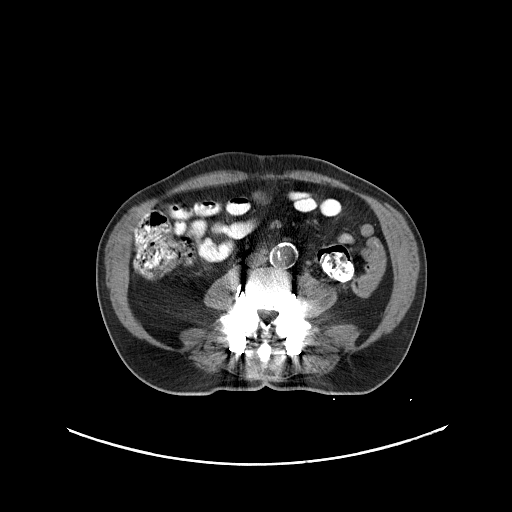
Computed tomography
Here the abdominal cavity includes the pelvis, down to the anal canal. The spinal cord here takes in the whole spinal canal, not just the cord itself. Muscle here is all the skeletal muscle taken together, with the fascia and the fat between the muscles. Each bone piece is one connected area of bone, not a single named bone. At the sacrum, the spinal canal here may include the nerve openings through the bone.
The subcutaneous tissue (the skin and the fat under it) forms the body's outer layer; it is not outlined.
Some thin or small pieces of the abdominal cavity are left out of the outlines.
{"bones":[{"outer":[[260,267],[278,268],[287,271],[291,275],[296,299],[301,306],[304,316],[311,324],[311,329],[302,339],[285,341],[275,330],[268,331],[258,329],[252,331],[248,336],[231,336],[225,330],[224,322],[226,313],[242,295],[244,282],[250,271]],"hole":[[260,310],[264,310],[265,311],[274,311],[275,312],[276,312],[277,313],[277,314],[276,315],[276,316],[273,319],[272,319],[271,320],[270,320],[268,322],[265,322],[260,317],[260,316],[259,315],[259,313],[258,312]]}],"spinal_cord":[[[260,310],[264,310],[265,311],[274,311],[275,312],[276,312],[277,313],[277,314],[276,315],[276,316],[273,319],[272,319],[271,320],[270,320],[268,322],[265,322],[260,317],[260,316],[259,315],[259,313],[258,312]]],"muscle":[{"outer":[[217,170],[239,170],[247,173],[274,173],[275,174],[282,173],[286,170],[308,170],[309,171],[313,171],[337,179],[345,184],[356,189],[358,191],[369,196],[371,196],[381,202],[388,203],[396,209],[404,217],[414,236],[414,238],[417,243],[418,255],[419,256],[419,273],[416,282],[415,295],[410,307],[398,325],[396,326],[391,332],[387,334],[384,334],[368,346],[352,353],[345,359],[338,367],[333,370],[322,375],[314,375],[309,377],[294,378],[288,380],[280,379],[272,374],[271,372],[268,371],[260,372],[256,376],[246,379],[244,379],[241,377],[240,378],[234,378],[233,377],[222,377],[217,375],[213,375],[204,372],[191,363],[188,362],[181,353],[174,352],[173,351],[168,351],[156,347],[148,342],[134,336],[121,323],[116,315],[110,300],[109,289],[106,285],[106,278],[105,277],[106,272],[105,271],[104,257],[105,256],[105,247],[109,236],[117,222],[132,206],[136,205],[146,199],[157,197],[182,181],[184,181],[191,177],[200,174],[211,172],[212,171],[216,171]],"hole":[[256,178],[327,184],[374,212],[392,287],[364,338],[323,314],[337,288],[308,273],[297,278],[311,324],[302,339],[231,336],[224,322],[243,293],[239,264],[207,288],[202,301],[216,312],[183,329],[178,346],[134,315],[130,256],[144,215],[184,191]]}],"torso":[[[225,150],[295,153],[329,161],[388,192],[412,217],[426,253],[425,302],[404,359],[377,388],[360,395],[326,395],[268,386],[256,390],[218,390],[209,395],[173,395],[141,381],[118,355],[101,315],[95,285],[96,252],[106,225],[137,190],[193,160]]],"abdominal_cavity":[[[256,178],[327,184],[374,212],[392,287],[364,338],[323,314],[338,299],[334,285],[303,273],[296,296],[292,275],[271,266],[250,270],[242,290],[239,264],[214,280],[202,301],[216,312],[183,329],[178,346],[134,315],[130,256],[144,215],[184,191]]]}